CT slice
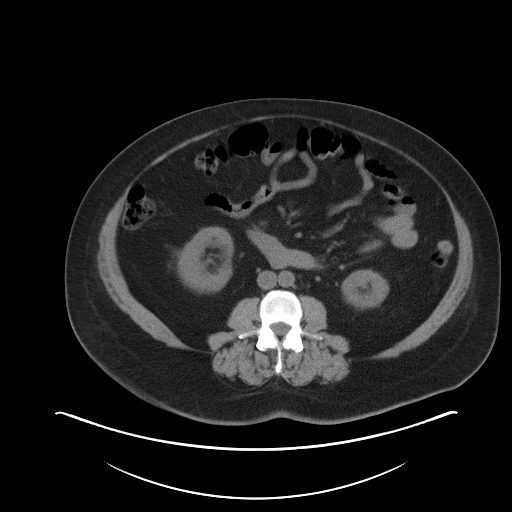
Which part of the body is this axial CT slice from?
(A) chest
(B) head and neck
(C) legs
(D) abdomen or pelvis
Answer: (D) abdomen or pelvis
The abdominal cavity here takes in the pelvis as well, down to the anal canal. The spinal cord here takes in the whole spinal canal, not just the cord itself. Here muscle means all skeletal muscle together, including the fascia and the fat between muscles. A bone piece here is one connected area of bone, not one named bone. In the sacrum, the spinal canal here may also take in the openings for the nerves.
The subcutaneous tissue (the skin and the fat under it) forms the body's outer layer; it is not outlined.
The muscle is outlined by 285 113; 304 114; 321 117; 355 128; 384 140; 399 148; 425 166; 443 185; 456 208; 463 217; 469 229; 473 248; 473 267; 471 281; 464 297; 452 315; 427 340; 417 347; 403 352; 397 357; 370 361; 354 361; 352 363; 349 373; 335 386; 327 389; 305 389; 291 386; 281 377; 273 376; 266 383; 260 386; 256 386; 249 389; 230 388; 217 378; 212 369; 211 360; 207 355; 199 352; 167 346; 163 342; 155 339; 143 330; 126 313; 119 308; 108 294; 99 275; 96 257; 99 249; 98 235; 106 215; 117 199; 123 193; 132 178; 148 163; 160 154; 190 137; 224 124; 231 123; 243 118; 249 118; 260 115; inner edge: 276 118; 333 125; 392 150; 423 171; 449 205; 458 247; 452 279; 430 314; 385 349; 349 355; 349 341; 326 330; 324 304; 302 294; 300 326; 322 338; 304 334; 301 351; 283 349; 281 372; 276 373; 274 348; 258 349; 255 334; 238 337; 261 324; 258 296; 240 299; 226 319; 230 329; 208 334; 207 348; 202 348; 180 339; 128 287; 118 261; 116 233; 134 182; 192 142; 241 123. The spinal cord is outlined by 279 322; 282 322; 283 323; 284 323; 289 326; 289 329; 286 332; 286 333; 284 335; 283 335; 282 336; 278 336; 277 335; 276 335; 275 334; 275 333; 273 331; 273 330; 271 328; 271 325; 272 324; 273 324; 274 323; 278 323. The bones are outlined by 274 289; 293 292; 302 308; 300 326; 304 331; 322 337; 317 339; 304 334; 301 351; 283 349; 280 373; 274 369; 277 361; 277 351; 274 348; 264 351; 258 349; 255 334; 241 339; 238 337; 240 333; 260 326; 260 301; 268 291 with a hole at 279 322; 282 322; 283 323; 284 323; 289 326; 289 329; 286 332; 286 333; 284 335; 283 335; 282 336; 278 336; 277 335; 276 335; 275 334; 275 333; 273 331; 273 330; 271 328; 271 325; 272 324; 273 324; 274 323; 278 323. The abdominal cavity is outlined by 276 118; 333 125; 392 150; 423 171; 449 205; 458 247; 452 279; 430 314; 385 349; 349 355; 349 341; 326 330; 324 304; 282 288; 240 299; 226 319; 230 329; 208 334; 207 348; 196 347; 128 287; 116 233; 134 182; 192 142. The torso is outlined by 254 97; 327 99; 381 111; 432 137; 472 175; 498 230; 501 299; 494 345; 480 368; 461 385; 377 415; 337 424; 279 417; 252 425; 215 425; 140 399; 85 352; 69 322; 63 275; 70 226; 87 188; 120 150; 153 127; 198 108.